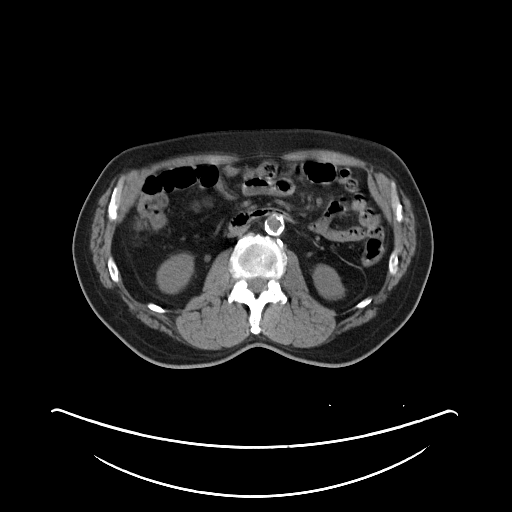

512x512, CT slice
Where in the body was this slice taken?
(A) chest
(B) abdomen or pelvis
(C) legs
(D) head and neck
(B) abdomen or pelvis
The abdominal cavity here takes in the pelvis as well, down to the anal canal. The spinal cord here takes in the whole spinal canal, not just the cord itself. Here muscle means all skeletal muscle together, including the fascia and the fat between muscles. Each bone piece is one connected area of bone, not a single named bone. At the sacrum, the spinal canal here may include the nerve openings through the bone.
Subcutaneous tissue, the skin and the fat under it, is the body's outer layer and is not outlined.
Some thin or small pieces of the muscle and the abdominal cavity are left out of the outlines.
The torso is outlined by 291,127 367,138 389,147 405,162 425,202 433,233 431,268 414,311 378,349 341,367 296,361 264,347 252,347 222,363 196,368 164,367 140,357 94,313 74,267 75,224 100,172 116,154 144,142 210,130. The muscle is outlined by 313,148 345,153 383,169 411,203 414,254 405,273 368,321 313,347 285,345 256,335 263,330 260,322 264,307 288,301 279,281 288,263 285,245 297,256 309,294 337,313 354,306 366,307 382,287 387,272 393,276 398,271 393,227 371,193 367,172 358,166 314,158 258,157 157,170 144,178 135,200 115,227 111,255 106,260 111,280 118,283 119,273 136,300 161,314 166,309 181,310 199,295 216,257 230,249 228,270 235,280 226,300 248,307 252,334 238,344 216,350 184,344 143,323 101,283 90,249 91,226 99,198 123,171 188,154; inner edges: 118,182 121,182 122,184 122,187 121,188 121,195 120,196 119,202 118,203 118,208 117,209 117,217 114,220 110,221 107,217 107,207 108,206 108,204 109,203 113,189 118,183, then 392,183 394,183 394,185 395,186 395,190 396,191 396,194 398,197 398,199 399,201 402,205 402,209 403,210 403,219 402,221 400,222 396,220 395,218 395,215 394,214 394,210 391,205 391,193 392,192. The bones appear in 7 outlined pieces: piece 1: 249,233 280,239 287,256 285,271 278,280 287,301 284,304 268,302 263,307 259,322 262,330 258,334 253,334 250,331 248,321 249,307 241,302 233,301 229,303 227,300 236,280 229,270 229,258 238,239; inner edge: 256,277 261,277 262,278 263,278 264,279 265,279 266,280 266,282 265,283 265,288 264,288 260,292 259,292 257,294 256,294 253,291 252,291 248,287 248,280 249,280 250,279 252,279 253,278 255,278; piece 2: 118,182 121,182 122,184 122,187 121,188 121,195 120,196 119,202 118,203 118,208 117,209 117,217 114,220 110,221 107,217 107,207 108,206 108,204 109,203 113,189 118,183; piece 3: 392,183 394,183 394,185 395,186 395,190 396,191 396,194 398,197 398,199 399,201 402,205 402,209 403,210 403,219 402,221 400,222 396,220 395,218 395,215 394,214 394,210 391,205 391,193 392,192; piece 4: 394,248 395,249 396,249 396,250 397,251 397,256 398,257 398,264 397,265 397,271 395,273 395,274 392,275 391,274 390,274 390,273 388,270 388,262 389,261 389,257 390,256 390,254 391,253 392,250; piece 5: 109,256 112,256 113,257 113,259 114,260 114,261 117,266 117,268 118,269 118,282 115,282 114,281 113,281 110,276 110,274 109,273 109,270 108,269 108,266 107,265 107,260 108,259; piece 6: 149,302 151,302 152,303 154,303 155,304 156,304 157,305 158,305 159,306 162,307 164,309 165,309 165,312 164,312 163,313 161,313 160,312 156,312 155,311 154,311 153,310 150,309 147,306 147,304; piece 7: 369,296 370,296 371,297 371,301 366,306 365,306 364,307 363,307 362,308 356,308 355,307 355,305 356,304 357,304 360,301 361,301 363,299 364,299 366,297 368,297. The abdominal cavity is outlined by 258,158 314,159 366,172 370,193 393,231 393,248 379,290 337,312 310,294 298,256 288,245 280,238 249,232 232,249 215,257 202,291 183,308 164,308 136,299 112,255 112,240 145,178 187,164 229,165. The spinal cord is outlined by 256,277 261,277 262,278 263,278 264,279 265,279 266,280 266,282 265,283 265,288 264,288 260,292 259,292 257,294 256,294 253,291 252,291 248,287 248,280 249,280 250,279 252,279 253,278 255,278.